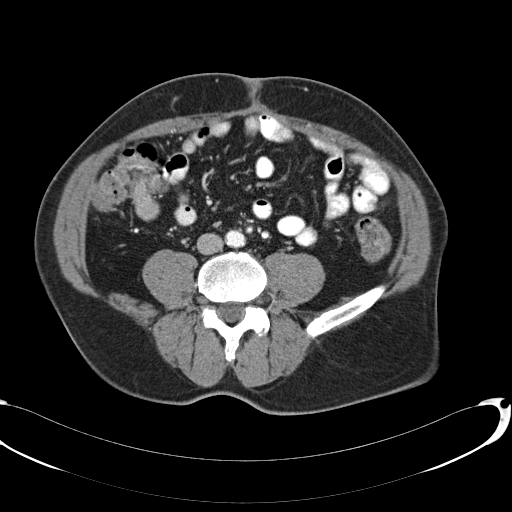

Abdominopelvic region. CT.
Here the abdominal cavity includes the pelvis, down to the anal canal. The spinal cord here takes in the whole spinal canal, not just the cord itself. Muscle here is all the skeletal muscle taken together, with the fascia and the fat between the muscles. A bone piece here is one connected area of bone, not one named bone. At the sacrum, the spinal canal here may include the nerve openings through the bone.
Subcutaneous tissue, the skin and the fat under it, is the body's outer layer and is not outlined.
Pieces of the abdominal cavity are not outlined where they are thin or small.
The muscle is outlined by (257, 101) (261, 102) (271, 108) (276, 109) (280, 113) (302, 117) (311, 121) (325, 124) (335, 129) (341, 130) (346, 133) (348, 133) (379, 152) (382, 156) (384, 156) (397, 167) (409, 174) (420, 188) (425, 198) (427, 208) (429, 212) (430, 229) (431, 230) (431, 245) (432, 246) (431, 255) (429, 259) (427, 269) (419, 283) (416, 286) (414, 286) (402, 293) (399, 293) (383, 299) (372, 307) (361, 318) (354, 321) (345, 327) (340, 328) (324, 335) (323, 336) (324, 338) (305, 357) (299, 366) (290, 375) (284, 378) (272, 387) (258, 392) (249, 390) (238, 380) (231, 370) (228, 370) (217, 383) (211, 386) (203, 387) (199, 386) (186, 379) (172, 370) (167, 363) (160, 356) (144, 329) (134, 323) (128, 317) (108, 306) (102, 301) (79, 292) (62, 276) (57, 262) (54, 245) (52, 240) (53, 224) (55, 219) (56, 210) (64, 185) (66, 183) (69, 176) (78, 164) (90, 154) (99, 150) (104, 146) (122, 137) (129, 132) (146, 124) (158, 120) (166, 118) (172, 118) (176, 116) (183, 116) (194, 113) (200, 113) (201, 112) (229, 111) (234, 109) (239, 109) (247, 107) (252, 103); inner edge: (262, 112) (375, 159) (397, 192) (401, 241) (380, 282) (387, 285) (380, 298) (314, 338) (305, 328) (315, 317) (361, 293) (321, 309) (297, 308) (322, 289) (322, 263) (306, 252) (263, 257) (267, 285) (255, 304) (266, 310) (269, 329) (262, 336) (245, 331) (235, 359) (227, 361) (224, 338) (200, 316) (204, 299) (195, 284) (197, 259) (170, 248) (147, 258) (141, 278) (161, 306) (128, 293) (103, 293) (86, 262) (87, 214) (98, 171) (127, 142). The bones appear in 2 outlined pieces: piece 1: (230, 251) (241, 251) (252, 255) (265, 269) (267, 285) (255, 300) (255, 304) (266, 310) (269, 319) (266, 334) (258, 336) (252, 329) (242, 334) (233, 361) (227, 361) (225, 358) (224, 338) (214, 328) (203, 325) (200, 313) (204, 299) (195, 284) (198, 270) (206, 260) with a hole at (228, 302) (233, 302) (234, 303) (241, 303) (243, 304) (244, 306) (243, 307) (243, 309) (244, 310) (243, 316) (238, 321) (232, 324) (230, 324) (226, 322) (223, 319) (222, 319) (218, 315) (217, 313) (217, 308) (218, 307) (218, 305) (219, 304) (227, 303); piece 2: (380, 283) (386, 284) (387, 287) (380, 298) (371, 307) (360, 313) (355, 317) (347, 320) (337, 326) (333, 327) (328, 331) (320, 334) (314, 338) (309, 337) (306, 334) (305, 330) (306, 326) (315, 317) (317, 317) (322, 312) (340, 306) (342, 304) (348, 302) (355, 296). The spinal cord is outlined by (228, 302) (233, 302) (234, 303) (241, 303) (243, 304) (244, 306) (243, 307) (243, 309) (244, 310) (243, 316) (238, 321) (232, 324) (230, 324) (226, 322) (223, 319) (222, 319) (218, 315) (217, 313) (217, 308) (218, 307) (218, 305) (219, 304) (227, 303). The abdominal cavity is outlined by (262, 112) (343, 142) (389, 174) (402, 232) (381, 281) (303, 309) (296, 307) (326, 279) (310, 253) (275, 251) (260, 261) (230, 250) (206, 259) (195, 277) (191, 253) (162, 248) (141, 268) (161, 306) (97, 289) (86, 262) (87, 214) (95, 177) (114, 152) (133, 140). The torso is outlined by (202, 72) (249, 78) (289, 75) (331, 84) (374, 108) (410, 147) (438, 190) (448, 219) (437, 299) (442, 360) (429, 381) (334, 410) (274, 415) (229, 395) (186, 405) (142, 400) (109, 386) (84, 361) (50, 303) (34, 261) (43, 194) (70, 154) (117, 108) (158, 83).